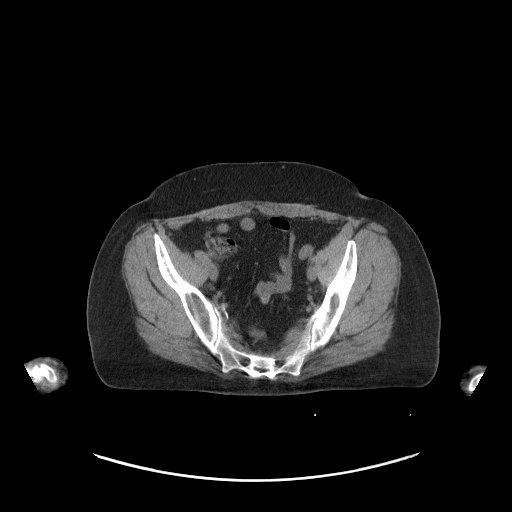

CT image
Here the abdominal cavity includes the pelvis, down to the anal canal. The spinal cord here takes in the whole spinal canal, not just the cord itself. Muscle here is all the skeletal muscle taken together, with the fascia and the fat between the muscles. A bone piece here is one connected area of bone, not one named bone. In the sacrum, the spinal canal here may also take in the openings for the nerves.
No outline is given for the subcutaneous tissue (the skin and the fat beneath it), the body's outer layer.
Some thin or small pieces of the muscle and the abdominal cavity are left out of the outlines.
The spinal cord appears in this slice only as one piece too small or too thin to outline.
Outlines:
abdominal cavity: [[253,209],[265,215],[321,219],[341,225],[313,257],[324,292],[320,304],[307,318],[292,325],[270,353],[252,350],[242,335],[224,319],[219,307],[201,290],[216,266],[209,254],[198,248],[190,252],[182,250],[171,238],[174,230],[195,219],[229,219]]
right arm: [[40,355],[49,355],[57,357],[65,364],[68,369],[69,377],[67,383],[63,387],[54,392],[46,394],[41,394],[36,387],[36,381],[38,380],[38,374],[33,367],[34,365],[33,364],[32,365],[29,364],[26,365],[25,364],[25,361]]
left arm: [[475,363],[482,363],[483,364],[485,364],[485,367],[483,370],[481,371],[482,372],[482,374],[480,376],[479,380],[475,386],[474,389],[470,393],[469,396],[465,397],[460,391],[458,387],[458,383],[461,377],[461,374],[462,372],[468,366]]
bones 1: [[155,232],[178,273],[218,307],[232,345],[273,354],[279,362],[296,347],[308,318],[321,304],[347,242],[356,244],[356,276],[330,339],[305,358],[298,375],[279,373],[271,380],[251,378],[238,369],[224,373],[218,356],[201,342],[179,296],[159,271]]
bones 2: [[41,362],[43,362],[44,363],[46,363],[48,364],[55,370],[55,372],[58,377],[58,382],[56,386],[53,385],[44,377],[43,377],[39,382],[36,382],[36,381],[38,380],[38,374],[36,372],[36,370],[34,369],[33,367],[35,364],[37,364]]
bones 3: [[481,372],[482,372],[482,374],[480,376],[480,377],[479,378],[479,380],[478,381],[477,384],[475,386],[474,389],[471,392],[468,391],[467,390],[467,387],[468,386],[468,384],[469,383],[471,378],[473,376],[474,376],[478,373],[480,373]]
torso: [[279,160],[315,164],[347,177],[362,193],[395,209],[412,227],[430,263],[440,306],[439,362],[432,380],[417,388],[329,390],[279,396],[118,389],[104,384],[92,362],[86,327],[86,299],[96,256],[114,221],[162,181],[182,171],[216,162]]
muscle 1: [[242,200],[314,204],[385,227],[401,277],[383,351],[299,381],[273,380],[279,374],[298,376],[306,358],[329,342],[357,276],[358,254],[355,240],[346,242],[324,291],[314,257],[342,225],[257,208],[229,218],[195,218],[172,231],[182,251],[201,250],[215,266],[200,289],[179,273],[160,235],[152,234],[158,271],[200,342],[217,356],[224,374],[238,370],[255,379],[223,378],[147,348],[121,273],[133,231],[152,218]]
muscle 2: [[304,318],[306,318],[307,320],[305,322],[304,328],[301,332],[301,334],[295,347],[289,354],[287,354],[282,358],[282,361],[279,361],[281,360],[279,358],[276,357],[273,353],[271,353],[274,350],[275,350],[282,342],[284,339],[286,332],[298,321]]
muscle 3: [[224,320],[226,320],[241,335],[242,338],[250,346],[251,348],[251,350],[249,350],[248,351],[246,351],[245,350],[241,350],[235,347],[233,345],[230,339],[230,337],[226,333],[226,331],[224,327],[224,324],[223,323],[223,321]]
muscle 4: [[42,360],[52,360],[53,361],[55,361],[58,364],[58,366],[62,372],[64,377],[64,379],[61,383],[58,385],[58,383],[59,382],[59,377],[56,372],[56,370],[48,363],[41,361],[40,362],[35,363],[32,365],[30,365],[37,361],[41,361]]
muscle 5: [[476,367],[482,367],[484,368],[483,370],[473,375],[470,378],[467,384],[466,389],[465,388],[465,385],[466,384],[466,381],[470,377],[471,375],[470,374],[470,372],[472,369]]
muscle 6: [[43,378],[44,378],[49,383],[50,383],[53,386],[54,386],[55,387],[54,387],[53,388],[51,388],[50,389],[43,389],[40,386],[40,385],[38,383],[39,383],[43,379]]